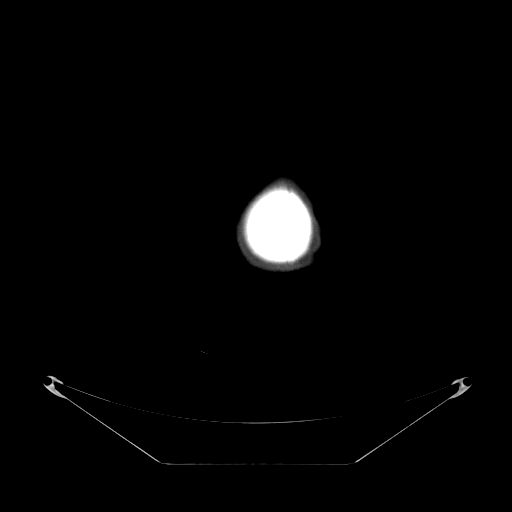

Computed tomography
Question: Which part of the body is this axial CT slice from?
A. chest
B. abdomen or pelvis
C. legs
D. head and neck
Answer: D. head and neck
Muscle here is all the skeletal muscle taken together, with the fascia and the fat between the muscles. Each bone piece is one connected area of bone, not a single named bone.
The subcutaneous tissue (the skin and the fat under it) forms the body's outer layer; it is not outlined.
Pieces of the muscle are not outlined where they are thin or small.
{"bones":[[[274,185],[285,185],[289,188],[294,189],[301,196],[306,203],[313,217],[312,220],[313,223],[313,234],[309,249],[302,257],[296,261],[290,263],[288,262],[286,263],[271,263],[260,259],[250,251],[244,240],[243,236],[243,215],[247,206],[262,190]]],"muscle":[[[242,216],[242,236],[243,237],[243,240],[249,251],[254,256],[264,262],[270,263],[271,264],[286,264],[287,263],[290,264],[291,263],[294,263],[302,258],[309,251],[312,243],[313,235],[314,234],[314,223],[313,222],[314,217],[317,225],[317,237],[316,238],[316,241],[310,253],[306,257],[294,264],[288,265],[287,266],[276,266],[275,265],[270,265],[264,263],[252,257],[248,252],[246,251],[240,240],[239,225]],[[278,180],[287,180],[293,183],[303,193],[303,194],[307,199],[311,207],[311,210],[313,213],[313,216],[313,214],[309,206],[307,204],[307,203],[304,200],[302,196],[294,188],[292,187],[289,187],[285,184],[274,184],[273,185],[268,186],[270,184]]],"head_and_neck":[[[279,170],[286,170],[297,175],[311,195],[315,203],[317,214],[323,224],[323,246],[319,253],[315,265],[309,269],[289,275],[267,274],[260,272],[248,266],[238,253],[234,243],[232,231],[232,226],[238,215],[238,212],[246,200],[266,180],[270,174]]]}